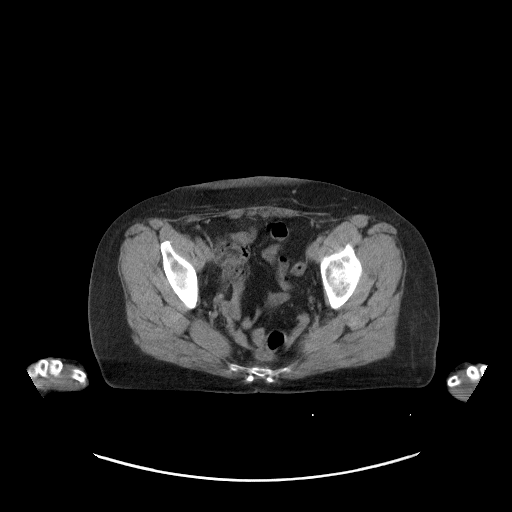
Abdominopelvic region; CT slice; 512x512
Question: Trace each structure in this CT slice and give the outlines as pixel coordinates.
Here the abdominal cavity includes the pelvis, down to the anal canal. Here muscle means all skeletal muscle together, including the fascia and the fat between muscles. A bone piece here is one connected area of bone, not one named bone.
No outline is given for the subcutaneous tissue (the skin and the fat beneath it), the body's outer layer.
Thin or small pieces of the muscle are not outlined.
Answer: The bones appear in 7 outlined pieces: piece 1: 347 243; 350 243; 352 245; 354 249; 354 252; 361 263; 362 272; 359 281; 354 291; 349 298; 340 307; 337 309; 333 309; 330 306; 329 300; 323 288; 322 279; 320 273; 320 260; 323 256; 328 254; 331 254; 343 248; piece 2: 164 240; 168 240; 170 242; 173 249; 179 255; 182 256; 190 262; 195 269; 197 275; 197 282; 198 283; 198 299; 196 302; 195 307; 192 309; 189 309; 174 292; 165 275; 163 266; 162 265; 162 255; 160 250; 160 244; 161 242; piece 3: 230 363; 235 363; 245 367; 253 366; 266 367; 274 370; 289 366; 291 368; 291 371; 279 373; 273 377; 274 381; 270 383; 267 382; 263 377; 256 375; 254 376; 253 381; 248 382; 246 380; 248 373; 243 370; 231 371; 228 367; piece 4: 43 359; 45 360; 51 360; 52 359; 58 359; 60 360; 62 362; 62 369; 60 373; 57 376; 55 376; 50 373; 48 373; 46 376; 42 376; 39 374; 30 376; 27 372; 27 370; 28 368; 29 367; 32 367; 40 360; 42 360; piece 5: 470 365; 473 365; 474 366; 476 366; 478 368; 482 365; 485 365; 486 366; 486 368; 484 371; 484 374; 483 375; 481 375; 478 380; 475 380; 474 381; 473 381; 472 380; 471 380; 466 375; 466 369; 467 368; 467 367; piece 6: 75 368; 78 368; 79 369; 80 369; 81 370; 82 370; 84 372; 85 372; 85 373; 86 374; 86 381; 85 382; 85 383; 82 383; 81 382; 80 382; 78 380; 76 380; 75 379; 74 379; 71 377; 71 374; 72 373; 72 370; piece 7: 453 375; 456 375; 461 380; 461 382; 459 384; 458 384; 457 385; 455 385; 454 386; 450 386; 449 385; 448 385; 448 384; 447 383; 447 381; 448 380; 448 378; 449 378; 451 376; 452 376. The left arm is outlined by 463 361; 470 361; 474 363; 475 362; 480 362; 482 365; 485 365; 486 366; 486 368; 484 371; 484 374; 480 376; 477 381; 478 384; 475 386; 473 392; 463 402; 454 398; 447 391; 445 385; 446 384; 446 376; 449 371; 456 365. The muscle appears in 3 outlined pieces: piece 1: 254 205; 333 216; 369 214; 397 227; 406 271; 395 347; 389 356; 279 383; 274 383; 274 377; 290 373; 289 365; 274 369; 230 362; 231 372; 247 373; 248 383; 243 383; 156 359; 134 343; 117 271; 127 226; 136 218; 177 218, around a hole outlined by 216 217; 307 217; 327 223; 333 226; 319 245; 317 260; 319 262; 323 256; 336 252; 350 243; 361 263; 359 281; 349 298; 340 307; 333 309; 324 291; 319 316; 304 331; 293 352; 281 365; 238 361; 234 344; 206 318; 200 296; 195 307; 189 309; 174 292; 165 275; 160 250; 160 244; 164 240; 168 240; 173 249; 191 263; 198 277; 205 263; 204 254; 199 246; 174 224; 184 225; piece 2: 63 362; 64 363; 70 363; 78 367; 75 367; 71 370; 70 377; 81 383; 82 384; 81 386; 73 388; 49 388; 48 389; 43 389; 42 388; 39 390; 30 379; 30 377; 38 375; 42 377; 46 377; 48 374; 57 377; 63 369; piece 3: 465 368; 466 368; 465 369; 465 375; 471 381; 473 382; 477 381; 478 382; 478 384; 475 386; 475 388; 473 392; 468 397; 462 397; 457 393; 451 390; 451 388; 452 387; 457 386; 462 382; 462 380; 456 374; 455 374; 457 371. The torso is outlined by 252 175; 307 178; 363 192; 384 201; 419 230; 434 263; 439 294; 440 320; 436 367; 428 384; 419 388; 290 394; 233 394; 122 389; 112 387; 105 382; 91 347; 87 302; 95 251; 106 229; 128 208; 151 196; 183 185; 217 178. The right arm is outlined by 47 356; 68 357; 80 361; 85 367; 85 371; 89 378; 89 385; 85 389; 81 391; 69 391; 60 393; 53 392; 45 397; 42 396; 35 386; 35 384; 30 379; 30 376; 27 372; 28 369; 27 366; 30 363; 36 360; 41 360. The abdominal cavity is outlined by 216 217; 229 219; 307 217; 333 226; 322 240; 317 251; 323 289; 320 314; 304 331; 296 342; 293 352; 281 365; 238 361; 234 344; 206 318; 199 295; 198 282; 198 277; 205 263; 204 254; 199 246; 178 230; 174 224; 184 225.